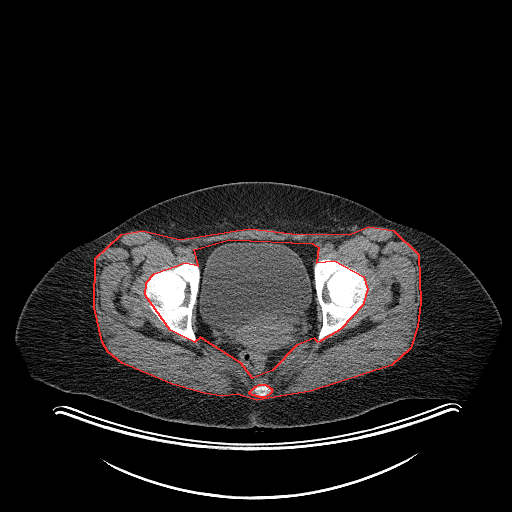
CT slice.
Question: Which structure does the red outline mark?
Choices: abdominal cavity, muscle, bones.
Answer: red: muscle.
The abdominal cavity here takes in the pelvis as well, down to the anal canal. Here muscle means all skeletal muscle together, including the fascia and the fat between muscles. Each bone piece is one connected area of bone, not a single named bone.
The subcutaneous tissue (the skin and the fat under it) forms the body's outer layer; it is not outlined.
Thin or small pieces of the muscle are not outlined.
{"muscle":[{"outer":[[368,226],[393,230],[418,254],[420,302],[417,326],[410,348],[391,365],[310,391],[256,400],[237,394],[222,396],[204,393],[172,384],[122,363],[108,352],[102,342],[94,307],[95,258],[121,234],[142,230],[180,239],[249,228],[291,233],[349,234]],"holes":[[[229,239],[312,243],[318,247],[316,262],[334,260],[363,276],[367,289],[362,305],[340,329],[318,342],[314,338],[296,345],[272,370],[252,378],[241,363],[200,337],[194,342],[170,330],[145,295],[146,282],[154,273],[185,262],[198,265],[194,249]],[[259,384],[265,384],[266,385],[267,385],[270,388],[271,388],[271,389],[272,390],[271,391],[271,392],[268,395],[267,395],[264,397],[259,397],[258,396],[256,396],[255,395],[252,395],[251,394],[250,394],[249,393],[249,392],[255,386],[256,386]]]}],"bones":[[[185,262],[192,262],[198,265],[200,269],[200,277],[196,302],[193,306],[191,312],[191,327],[196,336],[195,342],[187,338],[182,337],[173,332],[164,325],[151,310],[148,300],[145,295],[146,282],[154,273],[161,270],[174,268]],[[321,259],[334,260],[342,264],[354,268],[363,276],[366,282],[367,289],[362,305],[353,315],[351,319],[340,329],[326,335],[318,342],[317,338],[319,331],[322,326],[323,315],[322,314],[321,306],[318,302],[316,295],[313,267],[314,266],[314,263]],[[259,384],[265,384],[266,385],[267,385],[270,388],[271,388],[271,389],[272,390],[271,391],[271,392],[268,395],[267,395],[264,397],[259,397],[258,396],[256,396],[255,395],[252,395],[251,394],[250,394],[249,393],[249,392],[255,386],[256,386]]],"torso":[[[241,181],[283,182],[336,194],[393,221],[421,230],[452,250],[481,281],[502,320],[491,353],[465,399],[402,399],[356,417],[329,423],[240,429],[166,421],[89,395],[64,392],[34,380],[16,343],[15,328],[28,295],[62,255],[156,203],[200,188]]],"abdominal_cavity":[[[229,239],[298,240],[312,243],[318,247],[312,267],[316,296],[316,338],[300,343],[288,350],[278,359],[272,370],[257,378],[250,377],[241,363],[230,358],[223,351],[214,348],[196,335],[198,330],[196,303],[201,269],[193,250],[199,246],[212,242]]]}